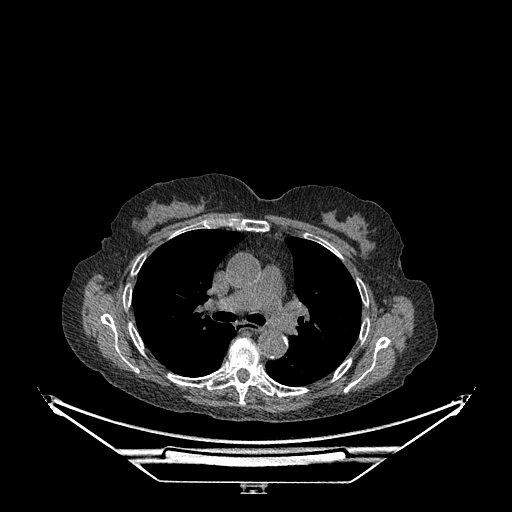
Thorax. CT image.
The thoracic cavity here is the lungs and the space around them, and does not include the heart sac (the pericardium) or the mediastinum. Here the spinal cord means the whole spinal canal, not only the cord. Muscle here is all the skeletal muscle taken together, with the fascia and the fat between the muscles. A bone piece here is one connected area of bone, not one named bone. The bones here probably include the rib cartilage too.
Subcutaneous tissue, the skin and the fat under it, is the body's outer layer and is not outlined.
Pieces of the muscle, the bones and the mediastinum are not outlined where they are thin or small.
{"thoracic_cavity":[[[219,228],[235,230],[244,236],[217,264],[212,275],[210,296],[213,306],[210,317],[219,323],[231,324],[235,336],[230,340],[225,358],[217,369],[200,376],[181,375],[168,370],[146,347],[135,324],[132,308],[133,287],[146,259],[161,244],[186,232]],[[290,235],[315,242],[335,255],[353,278],[362,305],[357,340],[347,356],[330,374],[307,385],[283,384],[271,377],[265,369],[268,361],[278,360],[286,355],[289,346],[288,337],[289,334],[292,334],[294,324],[298,297],[294,291],[294,261],[285,242]]],"torso":[[[206,173],[236,177],[266,199],[301,185],[337,186],[389,213],[403,242],[402,270],[407,278],[429,287],[438,329],[432,352],[400,387],[329,417],[231,421],[146,403],[109,383],[75,355],[63,333],[61,303],[76,264],[100,248],[129,198],[157,182]]],"mediastinum":[[[271,230],[289,234],[284,242],[293,261],[293,291],[297,301],[285,355],[264,364],[260,360],[258,347],[249,337],[235,337],[236,330],[231,323],[219,322],[210,315],[214,312],[211,298],[214,272],[226,254],[244,239],[244,234],[239,231],[266,233]]],"muscle":[{"outer":[[209,212],[245,212],[251,217],[279,213],[315,225],[338,236],[359,252],[355,264],[370,285],[378,307],[391,296],[402,295],[411,299],[414,303],[413,334],[389,376],[371,389],[349,397],[287,412],[267,412],[197,404],[129,377],[107,363],[83,329],[81,304],[84,286],[95,273],[103,274],[114,284],[118,283],[129,261],[137,254],[129,271],[129,276],[135,278],[134,284],[128,280],[121,295],[124,312],[127,314],[131,307],[134,318],[134,323],[131,319],[127,320],[127,330],[138,352],[148,360],[147,349],[165,367],[167,371],[163,375],[173,384],[204,387],[209,391],[232,386],[238,394],[238,404],[244,407],[250,387],[256,387],[271,397],[298,396],[311,391],[308,385],[331,374],[327,383],[335,382],[350,368],[354,360],[352,355],[348,355],[350,351],[357,341],[361,347],[370,331],[369,315],[362,317],[362,307],[368,309],[370,299],[363,279],[359,275],[352,276],[345,265],[345,257],[324,237],[306,230],[297,236],[272,229],[266,219],[211,216],[175,229],[148,255],[144,248],[149,233]],"holes":[[[382,336],[386,336],[390,339],[389,344],[386,347],[381,348],[378,350],[376,354],[376,361],[373,368],[360,381],[352,386],[348,392],[344,393],[343,392],[343,389],[345,386],[350,382],[358,378],[371,365],[373,360],[373,352],[375,348],[376,342]],[[104,313],[108,313],[113,319],[114,325],[117,332],[117,337],[118,338],[118,348],[120,352],[131,364],[137,367],[139,369],[139,373],[136,373],[134,372],[117,353],[114,346],[114,334],[113,333],[113,331],[108,325],[102,323],[100,318],[101,315]]]}],"bones":[{"outer":[[237,337],[247,337],[255,344],[259,360],[275,381],[287,386],[306,386],[310,391],[279,397],[250,386],[244,397],[246,403],[241,406],[232,385],[209,390],[204,386],[178,385],[167,379],[164,375],[168,371],[200,377],[217,370],[226,358],[231,340]],"hole":[[242,368],[243,369],[245,369],[248,372],[248,377],[247,378],[247,379],[245,381],[241,381],[238,378],[238,377],[237,376],[237,372],[240,369],[241,369]]},[[211,217],[213,218],[217,218],[218,217],[219,218],[248,218],[257,220],[266,220],[270,224],[271,229],[266,232],[258,232],[257,231],[248,231],[247,230],[236,230],[228,227],[199,228],[186,231],[165,241],[167,237],[175,230],[203,219]],[[382,336],[386,336],[390,339],[389,344],[386,347],[381,348],[378,350],[376,354],[376,361],[373,368],[360,381],[352,386],[348,392],[344,393],[343,392],[343,389],[345,386],[350,382],[358,378],[371,365],[373,360],[373,352],[375,348],[376,342]],[[104,313],[108,313],[113,319],[114,325],[117,332],[117,337],[118,338],[118,348],[120,352],[131,364],[137,367],[139,369],[139,373],[136,373],[134,372],[117,353],[114,346],[114,334],[113,333],[113,331],[108,325],[102,323],[100,318],[101,315]],[[306,231],[307,232],[312,233],[315,235],[320,236],[332,244],[332,245],[335,248],[336,248],[344,257],[345,259],[345,264],[344,264],[335,254],[334,254],[331,251],[319,243],[315,241],[301,237],[300,236],[301,233],[302,232],[305,232]],[[128,320],[131,320],[133,322],[134,325],[136,327],[136,329],[146,348],[146,353],[148,356],[148,359],[146,359],[139,352],[139,351],[133,343],[132,341],[132,339],[131,338],[131,336],[128,330],[128,327],[127,326],[127,322]],[[348,356],[352,356],[353,357],[353,360],[352,361],[352,363],[351,364],[351,365],[349,367],[349,368],[340,377],[339,377],[335,381],[334,381],[331,383],[328,383],[328,380],[331,377],[331,376],[332,375],[332,373],[342,363],[342,362]],[[355,276],[359,276],[362,279],[362,280],[365,284],[365,286],[367,290],[367,295],[369,299],[369,307],[368,308],[366,308],[364,306],[363,306],[362,304],[362,301],[361,300],[361,296],[360,295],[359,290],[357,287],[357,285],[354,279],[354,277]],[[144,250],[147,250],[147,251],[148,252],[148,253],[147,254],[147,257],[145,259],[144,262],[142,264],[142,265],[141,266],[141,267],[140,268],[136,277],[131,277],[130,276],[130,271],[132,268],[132,265],[135,260],[135,258],[139,253],[140,253]],[[128,281],[129,281],[132,284],[133,286],[132,287],[132,293],[131,294],[131,306],[128,312],[126,313],[123,307],[123,300],[122,299],[122,295],[123,294],[123,290],[124,289],[124,287],[126,283]],[[366,315],[368,315],[369,317],[369,319],[370,320],[369,331],[367,334],[367,336],[363,344],[361,346],[360,346],[359,345],[358,336],[359,335],[359,333],[360,332],[360,329],[361,328],[361,323],[362,322],[362,319],[363,317],[364,317]]],"spinal_cord":[[[242,368],[243,369],[245,369],[248,372],[248,377],[247,378],[247,379],[245,381],[241,381],[238,378],[238,377],[237,376],[237,372],[240,369],[241,369]]]}